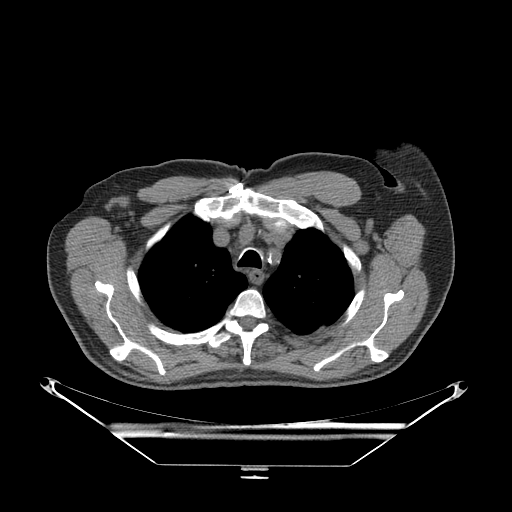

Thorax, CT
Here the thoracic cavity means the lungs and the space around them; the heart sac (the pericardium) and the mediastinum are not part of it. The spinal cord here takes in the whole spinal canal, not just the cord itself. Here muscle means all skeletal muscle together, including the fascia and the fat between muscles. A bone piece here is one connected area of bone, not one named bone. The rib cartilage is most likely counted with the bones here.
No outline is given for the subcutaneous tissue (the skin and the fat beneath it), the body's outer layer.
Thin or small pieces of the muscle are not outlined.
The thoracic cavity appears in 2 outlined pieces: piece 1: 190,213 209,224 211,228 212,243 216,247 224,248 227,251 232,268 245,276 247,287 237,294 231,305 224,312 224,315 217,322 198,331 180,332 168,329 153,313 143,296 137,273 146,253 165,236 172,226; piece 2: 309,228 314,228 325,234 334,244 340,248 353,276 354,294 342,315 333,323 329,325 324,325 305,334 298,334 271,317 268,313 268,309 262,294 266,282 280,265 286,245 292,239 298,229 305,230. The spinal cord is outlined by 244,316 252,316 253,317 254,317 256,319 257,319 257,322 256,323 256,324 254,326 254,327 253,328 252,328 250,330 246,330 245,329 244,329 241,326 241,325 239,323 239,320 240,319 240,318 241,318. The left arm is outlined by 404,139 405,140 412,140 418,143 424,149 433,163 433,165 440,178 444,191 413,190 412,189 399,187 395,185 396,182 390,173 383,168 379,168 370,159 372,157 372,147 373,146 388,146. The mediastinum is outlined by 242,212 274,219 272,224 276,228 283,228 287,224 297,228 284,247 277,269 265,282 262,293 255,287 248,287 246,276 233,268 228,251 224,247 216,246 212,241 212,228 209,223 215,219 232,220 234,215. The bones appear in 8 outlined pieces: piece 1: 247,188 274,198 295,200 317,214 323,222 324,233 314,227 301,229 289,223 283,227 276,227 273,224 276,220 274,218 242,211 234,214 232,219 215,218 210,222 195,216 192,211 195,202 200,198 221,196; piece 2: 247,288 255,288 262,295 270,316 269,329 252,343 248,366 242,362 243,347 237,334 232,334 218,347 212,347 206,342 175,345 160,340 147,327 148,323 153,323 172,332 194,333 204,330 217,323 238,294 with a hole at 244,316 252,316 253,317 254,317 256,319 257,319 257,322 256,323 256,324 254,326 254,327 253,328 252,328 250,330 246,330 245,329 244,329 241,326 241,325 239,323 239,320 240,319 240,318 241,318; piece 3: 400,289 403,291 403,297 388,307 386,322 374,337 374,344 389,353 386,359 377,363 373,362 369,350 365,346 359,345 326,363 318,371 313,369 314,364 337,350 352,342 366,339 382,321 384,294 394,293; piece 4: 97,280 113,286 110,310 125,335 130,340 149,348 157,354 165,369 165,374 161,375 155,362 137,349 132,349 121,361 117,361 111,356 109,349 122,344 123,339 107,315 105,308 107,296 96,289 95,282; piece 5: 361,288 364,288 365,290 365,293 364,294 363,300 361,302 361,304 359,308 357,310 353,317 346,324 344,325 341,325 341,323 344,319 344,316 343,315 344,312 353,299 355,293 357,292; piece 6: 343,243 345,243 347,244 354,251 354,252 358,256 361,262 361,269 360,271 355,275 353,275 352,273 352,271 341,249 341,247; piece 7: 129,266 130,266 133,269 134,272 136,274 137,280 139,284 139,287 140,288 140,290 141,291 141,293 143,297 143,304 140,304 136,300 135,297 131,292 128,286 128,283 127,282 127,277 126,276 126,270; piece 8: 167,222 170,222 171,223 171,227 167,231 167,232 164,235 164,236 159,241 155,243 147,251 146,251 145,249 145,247 146,246 146,242 147,240 160,227 164,225. The torso is outlined by 306,151 368,159 388,186 445,192 454,233 453,279 437,317 398,368 370,381 327,388 157,390 120,381 85,356 50,293 46,246 53,225 80,203 90,185 122,169 176,158 213,159 249,169 266,168 280,157. The muscle is outlined by 320,170 339,172 357,182 361,198 347,212 359,221 365,217 374,218 382,236 396,218 408,213 426,229 421,268 429,282 429,300 417,327 390,355 375,344 375,337 387,322 389,307 404,297 404,291 400,288 383,294 381,321 366,338 352,341 313,364 312,369 318,372 345,352 363,346 374,363 346,377 314,380 245,368 240,371 221,369 159,383 129,377 106,362 106,347 77,309 66,273 64,242 77,222 87,216 104,218 117,225 130,246 134,247 138,244 136,223 147,209 136,193 139,188 162,178 176,175 206,178 232,176 250,183 263,183 274,178; inner edges: 247,188 293,199 317,214 329,239 340,248 347,244 358,256 361,269 353,276 353,289 355,293 365,290 359,308 344,325 342,315 329,325 298,334 271,317 269,329 252,343 248,366 242,362 237,334 218,347 206,342 175,345 157,338 148,323 168,328 144,298 143,304 136,300 126,276 129,266 138,272 147,240 167,222 173,226 191,213 197,200, then 97,280 113,286 110,310 125,335 130,340 149,348 157,354 165,369 165,374 161,375 155,362 137,349 132,349 121,361 117,361 111,356 109,349 122,344 123,339 107,315 105,308 107,296 96,289 95,282.